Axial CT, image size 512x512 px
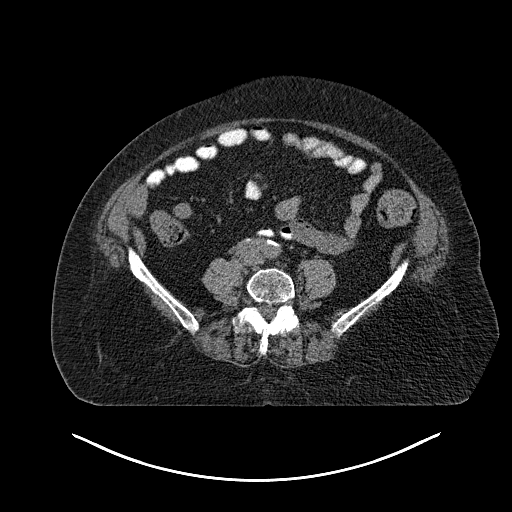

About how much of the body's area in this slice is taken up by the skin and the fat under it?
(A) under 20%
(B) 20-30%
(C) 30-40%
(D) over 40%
(D) over 40%
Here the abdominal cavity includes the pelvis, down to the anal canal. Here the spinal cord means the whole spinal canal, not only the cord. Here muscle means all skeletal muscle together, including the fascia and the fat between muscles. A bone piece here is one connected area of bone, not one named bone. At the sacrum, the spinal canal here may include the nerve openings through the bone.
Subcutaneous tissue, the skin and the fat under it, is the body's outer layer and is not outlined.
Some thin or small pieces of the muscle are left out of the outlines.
The torso is outlined by 272,74 320,77 353,85 374,94 427,130 453,160 479,237 480,266 499,327 490,357 465,401 452,405 414,406 102,406 77,398 64,382 51,348 53,282 64,235 89,185 122,147 164,116 235,84. The muscle appears in 2 outlined pieces: piece 1: 268,116 296,117 319,121 324,123 329,123 349,130 353,133 375,143 381,149 394,158 424,193 431,198 441,211 446,221 447,227 449,229 448,231 449,251 445,260 446,261 445,264 438,270 433,277 425,281 413,283 409,286 404,287 403,289 388,299 381,306 381,308 374,312 365,320 358,323 355,326 355,328 349,333 347,342 343,344 341,349 336,354 335,358 328,361 317,362 294,368 286,368 276,366 269,361 262,359 249,366 238,366 229,362 211,359 197,351 192,345 186,342 186,340 180,335 174,324 171,321 166,319 164,316 160,314 160,312 158,310 153,306 151,306 149,298 143,292 142,288 137,281 127,277 115,268 108,266 107,263 108,261 103,253 99,250 95,237 97,229 97,221 104,204 111,194 121,183 162,151 178,141 180,141 196,132 209,127 212,127 223,122 243,118 267,117, around a hole outlined by 277,121 328,131 385,159 415,195 419,218 394,246 392,273 409,259 395,289 339,337 330,327 350,308 344,307 316,321 300,321 284,336 269,335 263,355 261,335 247,331 247,323 235,332 232,323 248,299 242,264 216,257 202,274 202,284 219,307 178,300 199,324 191,334 129,269 129,246 145,264 146,255 144,234 126,201 151,167 196,140; piece 2: 310,259 323,259 328,261 331,264 333,268 333,270 335,273 336,284 334,288 329,294 329,295 321,299 313,298 304,292 305,290 305,287 306,286 306,277 302,267 301,266 300,268 299,265 303,260 309,260. The abdominal cavity is outlined by 277,121 373,151 404,178 419,218 394,246 391,273 355,305 308,322 294,312 289,273 259,268 245,289 246,269 233,258 214,258 200,278 219,307 176,298 146,265 144,234 126,208 129,194 151,167 196,140, around a hole outlined by 310,259 323,259 328,261 331,264 333,268 333,270 335,273 336,284 334,288 329,294 329,295 321,299 313,298 304,292 305,290 305,287 306,286 306,277 302,267 301,266 300,268 299,265 303,260 309,260. The spinal cord is outlined by 263,303 265,304 267,304 270,306 272,306 273,305 274,306 276,306 276,311 275,312 275,314 274,316 271,319 269,320 267,320 261,314 259,310 259,308 261,304. The bones appear in 3 outlined pieces: piece 1: 272,267 289,274 294,282 295,296 292,299 292,309 299,320 299,326 284,336 269,335 267,351 263,355 259,352 261,335 247,331 250,326 247,323 240,331 235,332 232,318 247,304 245,286 248,279 259,269 with a hole at 263,303 265,304 267,304 270,306 272,306 273,305 274,306 276,306 276,311 275,312 275,314 274,316 271,319 269,320 267,320 261,314 259,310 259,308 261,304; piece 2: 129,246 131,246 136,251 154,277 176,299 184,305 194,315 199,324 199,329 194,334 191,334 181,324 171,309 156,294 155,294 143,282 140,281 132,274 129,269 129,267 128,266 128,261 127,260 127,249; piece 3: 405,258 408,258 409,259 409,264 406,273 398,286 389,294 385,296 379,302 369,308 355,323 350,326 339,337 336,337 330,331 331,324 343,313 346,312 350,308 355,306 374,292 390,276 396,267 402,260.